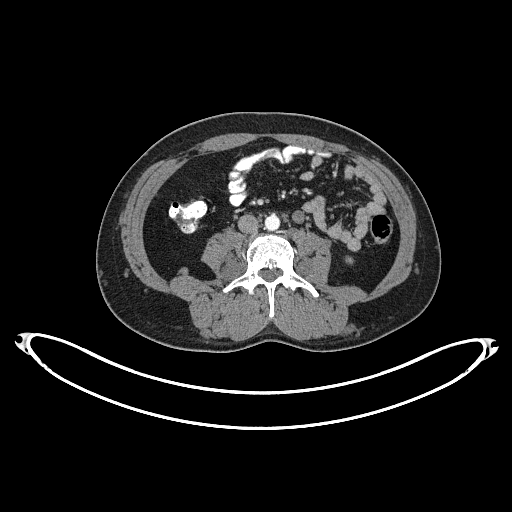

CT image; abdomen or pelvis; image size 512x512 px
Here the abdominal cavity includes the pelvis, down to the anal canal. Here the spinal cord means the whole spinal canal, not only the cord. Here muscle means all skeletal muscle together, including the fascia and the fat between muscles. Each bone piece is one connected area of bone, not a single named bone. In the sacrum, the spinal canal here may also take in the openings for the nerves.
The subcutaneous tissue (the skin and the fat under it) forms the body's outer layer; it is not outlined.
{"spinal_cord":[[[270,281],[271,280],[273,280],[277,276],[278,276],[280,274],[281,274],[281,271],[279,269],[272,269],[271,270],[270,270],[269,269],[262,269],[260,271],[260,272],[259,273],[263,277],[263,278],[264,278],[266,280],[269,280]]],"muscle":[{"outer":[[234,341],[245,340],[260,332],[270,323],[273,323],[286,335],[297,340],[310,340],[338,334],[346,325],[348,308],[351,305],[374,299],[391,290],[408,277],[412,269],[416,246],[416,219],[406,191],[389,169],[348,147],[309,135],[230,133],[209,138],[162,159],[151,165],[141,175],[127,196],[119,215],[120,235],[130,267],[137,278],[146,286],[184,300],[188,304],[190,316],[198,332],[204,338],[226,338]],"hole":[[270,318],[278,284],[318,296],[293,269],[295,230],[327,242],[330,285],[367,294],[391,266],[399,234],[384,192],[355,162],[262,138],[182,165],[148,205],[143,241],[164,279],[208,280],[207,240],[225,227],[241,232],[247,269],[223,292],[265,286]]}],"abdominal_cavity":[[[367,294],[391,266],[398,225],[381,188],[345,156],[257,139],[189,160],[147,207],[147,256],[168,281],[177,275],[215,279],[200,255],[222,228],[241,232],[249,243],[282,236],[284,237],[292,244],[294,261],[297,250],[291,237],[308,229],[330,248],[329,284],[356,285]]],"torso":[[[209,352],[237,351],[266,341],[308,351],[349,349],[400,329],[425,310],[441,271],[439,239],[422,193],[393,157],[359,132],[326,119],[242,111],[184,125],[152,144],[128,168],[108,200],[98,231],[96,275],[101,294],[115,317],[141,336],[176,349]]],"bones":[{"outer":[[270,318],[274,313],[274,293],[278,284],[289,290],[303,288],[314,297],[318,296],[314,287],[294,271],[291,244],[282,237],[270,234],[259,237],[249,244],[245,257],[246,271],[223,289],[226,293],[241,286],[252,295],[258,285],[265,286],[268,291]],"hole":[[270,281],[271,280],[273,280],[277,276],[278,276],[280,274],[281,274],[281,271],[279,269],[272,269],[271,270],[270,270],[269,269],[262,269],[260,271],[260,272],[259,273],[263,277],[263,278],[264,278],[266,280],[269,280]]}]}